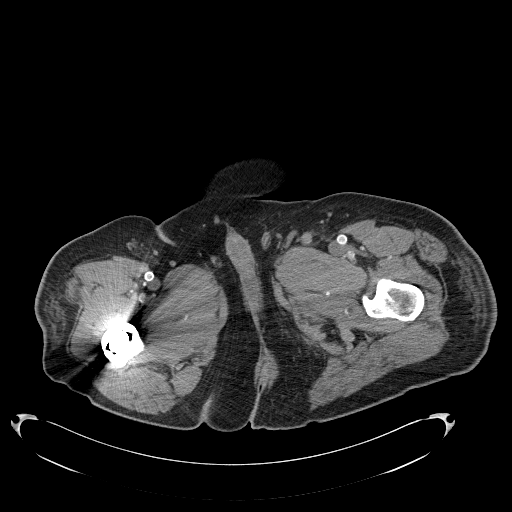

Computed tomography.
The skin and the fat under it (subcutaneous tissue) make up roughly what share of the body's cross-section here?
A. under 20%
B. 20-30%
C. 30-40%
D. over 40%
Answer: D. over 40%
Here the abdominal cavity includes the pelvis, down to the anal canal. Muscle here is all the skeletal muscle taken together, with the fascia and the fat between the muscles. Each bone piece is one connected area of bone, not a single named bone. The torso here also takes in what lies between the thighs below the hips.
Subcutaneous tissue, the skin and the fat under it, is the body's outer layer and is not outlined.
{"left_leg":[[[336,192],[361,192],[409,201],[426,206],[449,220],[482,260],[495,293],[497,320],[485,355],[470,371],[411,389],[403,395],[340,418],[311,423],[292,416],[287,407],[292,377],[291,358],[274,307],[266,294],[256,254],[258,238],[263,226],[309,199]]],"abdominal_cavity":[[[266,358],[268,358],[271,361],[271,362],[273,365],[273,371],[271,374],[271,376],[267,380],[267,381],[263,381],[261,379],[261,378],[260,377],[260,372],[261,371],[261,366],[262,365],[262,362],[263,361],[263,360]]],"torso":[[[251,155],[278,159],[291,173],[287,185],[264,199],[308,199],[262,226],[255,254],[290,358],[286,407],[292,417],[310,423],[287,430],[254,429],[247,423],[223,432],[202,421],[234,330],[234,300],[216,269],[163,236],[157,223],[193,202],[213,171]]],"right_leg":[[[125,215],[142,215],[150,218],[156,223],[163,237],[205,259],[228,287],[233,300],[234,326],[227,341],[220,374],[201,424],[193,429],[166,428],[108,412],[93,405],[86,396],[50,379],[42,367],[43,334],[34,313],[34,300],[49,260],[68,241]]],"bones":[[[383,277],[389,278],[398,282],[410,283],[421,289],[424,295],[424,306],[415,319],[411,321],[401,321],[396,318],[391,318],[390,317],[375,318],[369,316],[366,313],[362,304],[361,299],[362,295],[365,294],[369,298],[371,298],[375,293],[377,280]],[[127,322],[130,322],[136,327],[139,333],[139,335],[144,344],[144,348],[141,351],[134,355],[123,366],[116,367],[114,366],[105,356],[103,349],[102,348],[102,346],[101,345],[101,337],[103,334],[103,332],[107,328],[116,324],[126,323]]],"muscle":[{"outer":[[372,217],[408,222],[441,238],[447,245],[449,258],[442,268],[447,286],[442,309],[447,341],[436,355],[394,369],[324,408],[311,410],[305,403],[305,393],[320,375],[323,363],[292,332],[279,312],[270,289],[271,260],[279,251],[316,240],[353,220]],"hole":[[383,277],[389,278],[398,282],[410,283],[421,289],[424,295],[424,306],[415,319],[411,321],[401,321],[396,318],[391,318],[390,317],[375,318],[369,316],[366,313],[362,304],[361,299],[362,295],[365,294],[369,298],[371,298],[375,293],[377,280]]},{"outer":[[113,254],[133,256],[149,262],[197,260],[219,274],[227,290],[229,314],[215,356],[185,400],[164,413],[154,415],[138,412],[106,398],[95,387],[87,369],[73,360],[66,351],[67,335],[78,312],[78,307],[67,302],[64,296],[67,272],[79,262]],"hole":[[127,322],[130,322],[136,327],[139,333],[139,335],[144,344],[144,348],[141,351],[134,355],[123,366],[116,367],[114,366],[105,356],[103,349],[102,348],[102,346],[101,345],[101,337],[103,334],[103,332],[107,328],[116,324],[126,323]]},{"outer":[[262,348],[266,348],[270,350],[274,355],[279,365],[279,375],[278,376],[278,379],[270,389],[270,390],[265,394],[259,394],[258,393],[257,389],[256,388],[256,385],[254,382],[254,367],[255,366],[257,358],[259,355],[259,353]],"hole":[[266,358],[268,358],[271,361],[271,362],[273,365],[273,371],[271,374],[271,376],[267,380],[267,381],[263,381],[261,379],[261,378],[260,377],[260,372],[261,371],[261,366],[262,365],[262,362],[263,361],[263,360]]}]}